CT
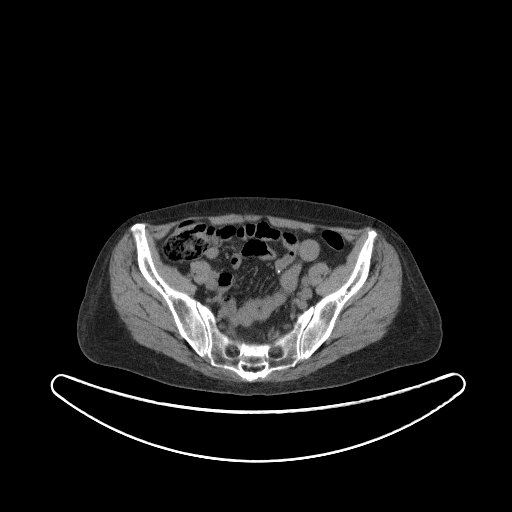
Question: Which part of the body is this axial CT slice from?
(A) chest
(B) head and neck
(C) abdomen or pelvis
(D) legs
Answer: (C) abdomen or pelvis
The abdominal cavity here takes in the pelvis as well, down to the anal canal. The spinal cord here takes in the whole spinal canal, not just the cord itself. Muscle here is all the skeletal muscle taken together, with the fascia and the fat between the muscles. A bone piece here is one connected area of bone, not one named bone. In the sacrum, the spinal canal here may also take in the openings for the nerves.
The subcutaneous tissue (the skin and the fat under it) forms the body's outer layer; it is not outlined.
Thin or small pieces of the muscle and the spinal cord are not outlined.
{"bones":[{"outer":[[138,222],[145,224],[159,275],[172,288],[207,306],[223,333],[248,343],[271,343],[289,331],[299,314],[348,279],[368,230],[378,235],[367,278],[343,305],[327,339],[294,366],[247,381],[232,370],[213,366],[181,336],[166,301],[138,267],[129,230]],"holes":[[[275,346],[277,346],[278,347],[279,347],[280,348],[281,348],[281,349],[282,350],[282,353],[281,354],[281,355],[280,355],[279,356],[272,356],[271,355],[270,355],[270,354],[269,353],[269,351],[270,350],[270,349],[271,348],[272,348]],[[230,346],[234,346],[235,347],[236,347],[238,349],[238,350],[239,351],[239,352],[238,353],[238,354],[237,354],[236,355],[233,355],[232,356],[229,356],[228,355],[227,355],[227,354],[226,353],[226,350],[227,349],[227,348],[228,347],[229,347]],[[244,367],[262,367],[262,368],[261,369],[259,369],[258,370],[247,370],[246,369],[245,369],[244,368]]]}],"muscle":[[[230,213],[370,226],[380,230],[396,250],[402,266],[401,302],[387,332],[377,341],[305,376],[282,382],[233,382],[213,378],[135,341],[114,308],[108,271],[111,252],[128,228],[140,273],[165,301],[180,336],[196,354],[207,357],[213,367],[232,371],[234,372],[243,380],[253,382],[273,371],[308,359],[328,339],[344,305],[368,278],[378,232],[377,231],[374,228],[369,228],[367,230],[347,279],[320,297],[316,287],[308,282],[308,270],[320,262],[333,269],[346,261],[353,242],[340,231],[318,227],[308,232],[276,226],[266,218],[226,223],[183,219],[158,239],[156,246],[161,261],[183,275],[190,272],[195,260],[209,265],[211,274],[205,282],[194,283],[196,290],[192,297],[172,287],[158,272],[143,222],[163,224],[189,216]]],"spinal_cord":[[[275,346],[277,346],[278,347],[279,347],[280,348],[281,348],[281,349],[282,350],[282,353],[281,354],[281,355],[280,355],[279,356],[272,356],[271,355],[270,355],[270,354],[269,353],[269,351],[270,350],[270,349],[271,348],[272,348]],[[230,346],[234,346],[235,347],[236,347],[238,349],[238,350],[239,351],[239,352],[238,353],[238,354],[237,354],[236,355],[233,355],[232,356],[229,356],[228,355],[227,355],[227,354],[226,353],[226,350],[227,349],[227,348],[228,347],[229,347]]],"torso":[[[250,195],[290,197],[330,203],[373,216],[392,227],[409,247],[439,309],[443,337],[438,352],[424,362],[395,368],[349,384],[269,396],[240,396],[186,389],[90,361],[80,350],[76,338],[78,309],[96,257],[117,227],[138,213],[181,202],[209,197]]],"abdominal_cavity":[[[188,219],[212,224],[266,219],[308,233],[331,229],[352,247],[343,263],[331,268],[320,261],[307,270],[307,282],[320,298],[297,315],[289,330],[271,342],[234,340],[195,298],[195,283],[208,280],[210,265],[195,259],[183,274],[160,257],[157,241]]]}